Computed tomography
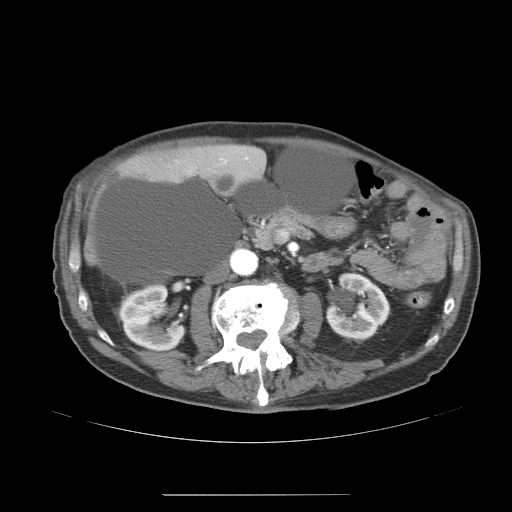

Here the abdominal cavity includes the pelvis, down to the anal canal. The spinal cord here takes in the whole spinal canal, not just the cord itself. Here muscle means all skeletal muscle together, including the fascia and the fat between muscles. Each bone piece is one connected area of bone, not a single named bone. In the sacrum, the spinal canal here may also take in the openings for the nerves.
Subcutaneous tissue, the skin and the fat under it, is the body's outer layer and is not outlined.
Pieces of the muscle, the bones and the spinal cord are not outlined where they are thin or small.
Outlines (x, y in pixels):
torso: (214, 119) (288, 120) (337, 131) (419, 172) (470, 207) (480, 240) (480, 285) (468, 331) (456, 353) (440, 372) (427, 383) (408, 391) (347, 408) (251, 414) (152, 396) (111, 379) (85, 359) (60, 319) (53, 292) (52, 233) (64, 187) (78, 168) (120, 142) (163, 127)
bones 1: (266, 278) (294, 290) (300, 320) (281, 340) (291, 354) (292, 362) (284, 368) (263, 373) (268, 403) (261, 406) (256, 399) (259, 387) (256, 370) (237, 375) (232, 365) (224, 361) (214, 362) (198, 371) (195, 367) (223, 346) (223, 338) (211, 321) (215, 295) (228, 283); inner edge: (258, 330) (261, 330) (262, 331) (264, 331) (266, 334) (266, 336) (255, 348) (251, 348) (250, 347) (247, 347) (244, 345) (241, 345) (238, 343) (237, 341) (237, 338) (240, 334) (242, 333) (248, 333) (250, 334)
bones 2: (458, 223) (460, 223) (461, 224) (461, 227) (462, 228) (462, 241) (463, 242) (463, 263) (462, 264) (462, 268) (461, 270) (460, 271) (455, 272) (453, 270) (453, 258) (454, 257) (454, 251) (455, 250) (455, 239) (456, 238) (455, 237) (455, 232) (456, 231) (456, 226)
bones 3: (72, 245) (78, 249) (78, 250) (79, 251) (79, 253) (80, 254) (80, 267) (79, 268) (79, 269) (77, 271) (76, 271) (75, 272) (73, 272) (69, 268) (69, 266) (68, 265) (68, 259) (69, 258) (69, 253) (70, 252) (70, 248)
bones 4: (98, 329) (103, 329) (108, 334) (108, 335) (110, 337) (110, 338) (113, 341) (113, 342) (115, 344) (114, 345) (114, 346) (112, 346) (111, 345) (110, 345) (107, 342) (106, 342) (103, 339) (102, 339) (98, 335) (98, 334) (97, 333) (97, 330)
bones 5: (435, 333) (438, 333) (439, 334) (439, 339) (438, 340) (438, 341) (434, 345) (433, 345) (432, 346) (431, 346) (430, 347) (428, 347) (427, 348) (426, 347) (425, 347) (425, 346) (424, 345) (424, 343) (426, 341) (426, 340) (430, 336) (431, 336) (433, 334) (434, 334)
abdominal cavity: (237, 140) (297, 143) (356, 157) (446, 211) (455, 226) (451, 283) (437, 326) (421, 345) (393, 360) (348, 360) (320, 351) (319, 295) (299, 294) (266, 277) (228, 282) (214, 296) (205, 284) (193, 292) (193, 355) (114, 342) (81, 279) (81, 221) (98, 180) (153, 150)
spinal cord: (258, 330) (261, 330) (262, 331) (264, 331) (266, 334) (266, 336) (255, 348) (251, 348) (250, 347) (247, 347) (244, 345) (241, 345) (238, 343) (237, 341) (237, 338) (240, 334) (242, 333) (248, 333) (250, 334)
muscle: (196, 135) (298, 135) (329, 140) (405, 171) (459, 203) (466, 211) (471, 232) (470, 275) (456, 321) (440, 344) (410, 365) (371, 380) (323, 394) (269, 403) (264, 373) (284, 369) (294, 360) (282, 340) (301, 320) (296, 293) (318, 295) (322, 322) (315, 349) (338, 359) (393, 361) (411, 354) (422, 344) (427, 349) (434, 346) (440, 339) (438, 332) (433, 333) (440, 315) (442, 312) (449, 315) (455, 307) (454, 297) (447, 294) (452, 272) (463, 268) (463, 228) (460, 222) (455, 225) (441, 205) (387, 169) (356, 156) (304, 143) (269, 144) (237, 139) (153, 149) (106, 170) (97, 180) (81, 218) (79, 250) (70, 246) (67, 265) (73, 273) (80, 269) (82, 287) (78, 290) (77, 306) (85, 312) (90, 299) (102, 328) (96, 330) (97, 335) (112, 347) (117, 344) (139, 351) (180, 350) (195, 355) (198, 348) (189, 335) (192, 296) (199, 287) (209, 286) (213, 292) (210, 321) (222, 338) (222, 346) (196, 365) (194, 371) (219, 362) (230, 364) (237, 376) (256, 371) (257, 404) (172, 388) (93, 349) (72, 317) (61, 283) (58, 236) (70, 192) (85, 170) (108, 158) (152, 142)